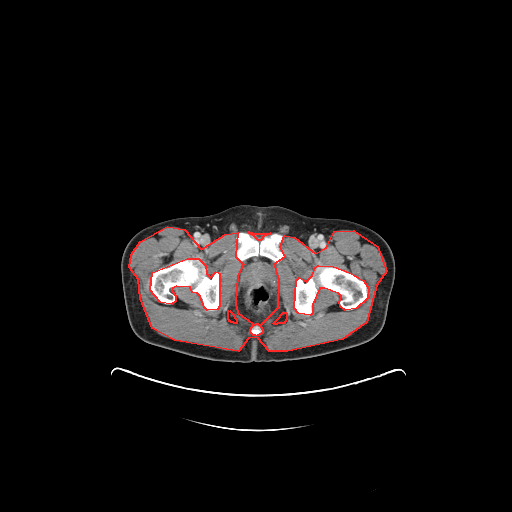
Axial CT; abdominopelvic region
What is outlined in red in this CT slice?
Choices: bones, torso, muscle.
red: muscle.
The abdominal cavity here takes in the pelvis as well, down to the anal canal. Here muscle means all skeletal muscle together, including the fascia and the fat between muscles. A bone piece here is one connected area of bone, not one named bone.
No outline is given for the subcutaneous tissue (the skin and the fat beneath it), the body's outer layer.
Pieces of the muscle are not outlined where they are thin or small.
Outlined structures:
muscle 1: [[167,226],[184,229],[201,249],[225,234],[237,232],[235,256],[243,264],[237,275],[235,303],[237,312],[252,323],[261,324],[278,307],[279,279],[274,263],[285,256],[280,247],[284,235],[294,237],[315,253],[326,247],[334,231],[353,230],[377,246],[386,271],[376,285],[366,322],[342,339],[287,351],[269,351],[257,337],[248,338],[238,351],[174,340],[152,328],[140,298],[138,279],[129,267],[131,254],[140,241]], around holes outlined by [[187,258],[198,258],[205,265],[206,273],[210,277],[216,271],[219,273],[219,306],[217,309],[207,310],[204,307],[200,296],[197,293],[192,292],[190,287],[176,286],[172,288],[171,290],[175,295],[175,301],[171,304],[160,302],[150,290],[152,272]] and by [[318,265],[333,266],[349,272],[363,280],[368,288],[367,298],[356,308],[345,310],[340,306],[339,302],[341,296],[338,293],[324,288],[319,288],[312,304],[312,313],[310,315],[298,313],[294,308],[296,280],[299,277],[306,281],[312,275],[315,267]] and by [[256,323],[257,323],[258,324],[259,324],[260,325],[260,326],[261,327],[261,328],[262,329],[262,332],[260,334],[259,334],[258,335],[257,335],[256,336],[255,335],[253,335],[250,332],[250,329],[251,328],[251,327],[254,324],[255,324]] and by [[283,312],[285,312],[286,313],[286,319],[285,320],[285,321],[284,322],[284,323],[277,323],[276,324],[274,324],[273,323],[280,316],[280,315]] and by [[229,310],[233,314],[233,315],[234,316],[234,317],[236,319],[236,323],[234,323],[233,322],[231,322],[230,321],[229,321],[229,320],[228,319],[228,311]]
muscle 2: [[248,232],[251,232],[252,233],[270,233],[269,234],[266,234],[265,235],[264,235],[262,237],[262,238],[260,240],[258,240],[252,234],[251,234],[249,232]]
bones 1: [[187,258],[198,258],[205,265],[206,273],[210,277],[216,271],[219,273],[219,306],[217,309],[207,310],[204,307],[200,296],[197,293],[192,292],[190,287],[176,286],[172,288],[171,290],[175,295],[175,301],[171,304],[160,302],[150,290],[152,272]]
bones 2: [[318,265],[333,266],[349,272],[363,280],[368,288],[367,298],[356,308],[345,310],[340,306],[339,302],[341,296],[338,293],[324,288],[319,288],[312,304],[312,313],[310,315],[298,313],[294,308],[296,280],[299,277],[306,281],[312,275],[315,267]]
bones 3: [[241,231],[249,233],[258,241],[260,241],[264,236],[274,232],[283,235],[284,239],[279,245],[280,249],[284,253],[283,258],[278,263],[275,263],[267,257],[257,255],[252,256],[244,261],[240,261],[236,256],[236,249],[238,246],[236,235],[238,232]]
bones 4: [[256,323],[257,323],[258,324],[259,324],[260,325],[260,326],[261,327],[261,328],[262,329],[262,332],[260,334],[259,334],[258,335],[257,335],[256,336],[255,335],[253,335],[250,332],[250,329],[251,328],[251,327],[254,324],[255,324]]
abdominal cavity: [[257,256],[267,258],[273,262],[273,265],[275,266],[278,279],[278,301],[277,302],[277,307],[273,313],[261,323],[258,321],[252,322],[242,316],[238,312],[237,304],[236,303],[236,296],[238,290],[238,275],[240,269],[246,260],[252,257],[256,257]]
torso: [[241,204],[276,205],[310,217],[346,219],[365,225],[381,235],[390,246],[395,260],[395,279],[381,331],[363,344],[320,356],[248,363],[194,357],[149,344],[136,336],[129,325],[126,314],[120,270],[122,253],[128,241],[141,229],[164,220],[205,216]]